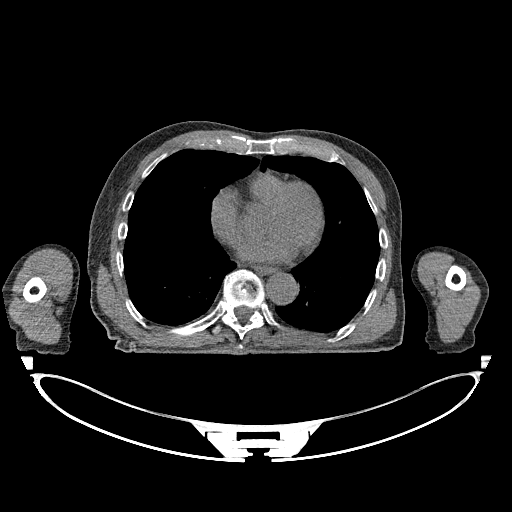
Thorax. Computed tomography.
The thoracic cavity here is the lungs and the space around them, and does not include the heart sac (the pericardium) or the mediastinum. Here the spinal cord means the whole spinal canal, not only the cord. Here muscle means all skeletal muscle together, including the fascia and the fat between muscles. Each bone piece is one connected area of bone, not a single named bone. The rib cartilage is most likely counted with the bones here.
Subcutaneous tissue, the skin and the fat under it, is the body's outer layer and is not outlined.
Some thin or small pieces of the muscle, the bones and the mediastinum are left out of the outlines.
The right arm is outlined by 50 242; 61 244; 71 250; 76 256; 80 268; 77 299; 73 310; 69 327; 71 343; 69 350; 66 354; 40 354; 35 350; 20 351; 17 348; 16 345; 15 332; 10 327; 8 321; 2 291; 4 281; 15 262; 30 249; 40 244. The bones appear in 14 outlined pieces: piece 1: 239 269; 249 270; 261 280; 264 299; 282 328; 272 326; 266 322; 261 327; 248 330; 242 339; 231 327; 222 323; 220 324; 221 329; 217 333; 212 332; 213 325; 189 335; 168 332; 172 327; 196 321; 209 313; 222 296; 225 276 with a hole at 240 306; 246 306; 247 307; 250 308; 252 310; 252 313; 248 318; 248 320; 245 322; 241 322; 240 321; 239 321; 238 318; 236 316; 236 315; 234 312; 234 310; 235 309; 235 308; 236 308; 237 307; 239 307; piece 2: 229 135; 240 135; 246 138; 254 139; 268 139; 272 137; 290 136; 300 142; 322 145; 334 150; 345 162; 345 166; 334 161; 326 161; 314 156; 300 153; 238 154; 235 152; 219 149; 186 148; 185 142; 188 140; 198 137; 223 137; piece 3: 33 276; 39 276; 44 281; 46 285; 46 287; 47 289; 44 295; 38 301; 36 302; 28 302; 26 301; 23 297; 22 295; 22 292; 23 291; 23 288; 26 282; 31 277; piece 4: 453 264; 457 264; 459 266; 460 266; 465 272; 465 276; 466 277; 466 282; 465 283; 465 285; 460 290; 458 291; 450 289; 447 286; 446 286; 445 284; 445 276; 446 275; 446 273; 448 269; 450 267; 450 266; piece 5: 350 321; 355 322; 356 323; 356 325; 355 326; 354 329; 345 337; 344 337; 337 341; 335 341; 334 342; 328 342; 326 340; 329 337; 331 337; 332 336; 333 336; 335 334; 335 333; 340 328; 341 328; 343 326; 344 326; piece 6: 126 297; 128 297; 131 300; 135 308; 143 316; 144 318; 144 320; 146 322; 146 323; 149 327; 148 328; 146 328; 142 325; 141 325; 136 320; 135 320; 134 318; 130 314; 129 311; 127 309; 125 305; 125 298; piece 7: 164 152; 167 152; 168 153; 168 155; 166 157; 165 157; 163 159; 162 159; 153 168; 153 169; 144 179; 142 179; 141 178; 141 174; 142 173; 142 172; 144 170; 144 169; 155 158; 156 158; 158 156; 159 156; 162 153; 163 153; piece 8: 381 257; 383 257; 385 259; 385 274; 384 275; 384 277; 383 278; 383 279; 382 280; 382 281; 379 281; 377 279; 376 279; 375 278; 375 273; 376 272; 376 267; 377 266; 377 264; 378 263; 378 261; 379 260; 379 258; 380 258; piece 9: 372 288; 375 288; 377 290; 377 292; 376 293; 376 295; 375 296; 375 298; 374 299; 374 300; 373 301; 371 306; 369 308; 368 311; 365 314; 363 314; 363 305; 365 302; 365 300; 366 299; 368 294; 370 292; 370 291; piece 10: 130 190; 132 190; 134 192; 134 196; 133 197; 133 200; 132 201; 132 203; 131 204; 131 206; 129 210; 127 212; 125 212; 122 210; 122 204; 124 201; 124 199; 125 198; 125 196; 126 194; 128 192; 128 191; piece 11: 363 186; 365 186; 366 187; 366 188; 368 190; 369 193; 371 195; 371 196; 372 197; 372 198; 378 209; 378 213; 376 216; 375 216; 374 215; 374 214; 368 203; 368 201; 366 198; 365 193; 362 188; 362 187; piece 12: 121 221; 126 221; 126 222; 127 223; 127 232; 126 233; 126 236; 125 237; 125 238; 124 239; 124 240; 120 240; 119 239; 118 239; 118 237; 117 236; 117 230; 118 229; 118 226; 119 225; 119 224; 120 223; 120 222; piece 13: 380 227; 383 227; 384 228; 384 229; 385 230; 385 231; 386 232; 386 234; 387 235; 387 247; 385 249; 384 249; 383 248; 381 248; 380 247; 380 244; 379 243; 379 228; piece 14: 118 250; 119 251; 120 251; 122 253; 122 257; 123 258; 123 275; 122 276; 120 276; 119 275; 119 272; 118 271; 118 269; 117 268; 117 264; 116 263; 116 252. The mediastinum is outlined by 222 246; 230 256; 238 262; 244 264; 277 266; 286 268; 293 267; 290 272; 298 282; 299 286; 299 291; 295 299; 286 305; 277 305; 273 311; 269 307; 265 299; 265 291; 262 280; 253 271; 249 269; 235 269; 236 264; 229 258. The torso is outlined by 186 120; 209 120; 265 132; 294 128; 329 131; 358 142; 385 164; 397 186; 402 211; 405 323; 401 344; 375 353; 335 354; 155 354; 126 353; 115 348; 116 342; 108 337; 89 301; 87 251; 94 206; 109 173; 129 147; 161 127. The spinal cord is outlined by 240 306; 246 306; 247 307; 250 308; 252 310; 252 313; 248 318; 248 320; 245 322; 241 322; 240 321; 239 321; 238 318; 236 316; 236 315; 234 312; 234 310; 235 309; 235 308; 236 308; 237 307; 239 307. The muscle appears in 3 outlined pieces: piece 1: 194 130; 230 130; 251 137; 229 134; 188 139; 184 148; 170 154; 164 151; 155 157; 141 172; 142 181; 135 192; 130 189; 125 194; 121 210; 127 213; 127 220; 121 220; 116 230; 123 249; 115 252; 115 263; 118 275; 125 280; 128 296; 124 305; 133 319; 146 329; 150 327; 145 319; 173 326; 167 332; 180 336; 211 326; 211 332; 217 334; 222 324; 240 340; 248 331; 266 323; 278 329; 285 324; 301 330; 334 333; 325 340; 328 343; 345 338; 355 329; 357 323; 351 320; 362 308; 363 315; 369 311; 378 292; 374 282; 382 282; 385 277; 386 259; 380 257; 380 251; 388 247; 388 235; 383 226; 377 225; 379 209; 372 195; 365 185; 360 185; 340 155; 322 144; 282 136; 295 134; 325 140; 351 154; 372 171; 385 193; 386 223; 392 240; 388 285; 396 298; 396 318; 391 330; 369 343; 338 347; 255 346; 226 351; 214 344; 140 345; 116 328; 98 303; 96 280; 99 264; 109 265; 118 204; 146 155; 165 141; piece 2: 44 248; 55 248; 65 253; 70 259; 73 268; 72 284; 68 296; 68 301; 66 307; 66 312; 65 313; 62 332; 58 342; 53 344; 45 344; 27 338; 22 329; 13 322; 8 310; 10 290; 19 270; 22 267; 25 260; 31 254; inner edge: 33 276; 39 276; 44 281; 46 285; 46 287; 47 289; 44 295; 38 301; 36 302; 28 302; 26 301; 23 297; 22 295; 22 292; 23 291; 23 288; 26 282; 31 277; piece 3: 431 251; 444 252; 453 256; 457 262; 465 266; 470 271; 481 291; 479 302; 471 320; 465 327; 463 335; 456 341; 449 343; 445 343; 439 338; 436 325; 435 307; 432 304; 432 297; 420 282; 417 274; 417 265; 420 258; 424 254 with a hole at 453 264; 457 264; 459 266; 460 266; 465 272; 465 276; 466 277; 466 282; 465 283; 465 285; 460 290; 458 291; 450 289; 447 286; 446 286; 445 284; 445 276; 446 275; 446 273; 448 269; 450 267; 450 266. The thoracic cavity is outlined by 185 148; 260 161; 310 156; 352 174; 380 250; 348 322; 323 333; 276 319; 275 308; 296 299; 291 271; 318 247; 326 221; 309 183; 259 162; 211 202; 213 238; 235 264; 214 307; 174 326; 144 317; 124 276; 128 213; 143 180. The left arm is outlined by 433 245; 448 246; 469 256; 477 264; 486 278; 489 286; 489 296; 483 310; 483 313; 474 331; 475 343; 471 348; 461 353; 438 354; 433 350; 429 349; 424 339; 427 330; 427 309; 422 296; 412 282; 410 271; 417 253; 420 250. The pericardium is outlined by 268 169; 282 174; 295 176; 309 184; 318 195; 323 208; 325 223; 319 244; 299 263; 290 267; 250 264; 238 261; 230 255; 227 250; 220 244; 214 237; 212 231; 210 221; 212 202; 219 192; 222 189; 237 183; 256 170; 263 172.